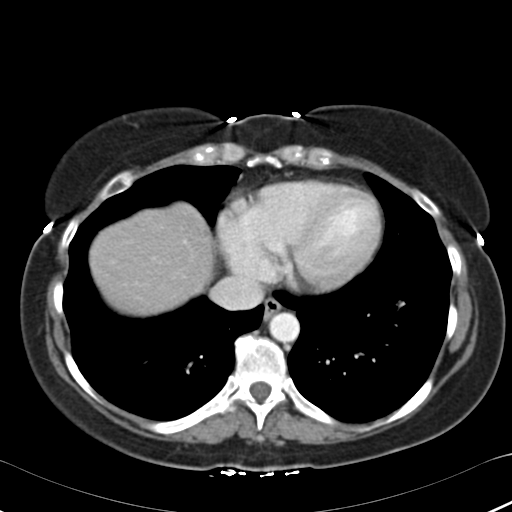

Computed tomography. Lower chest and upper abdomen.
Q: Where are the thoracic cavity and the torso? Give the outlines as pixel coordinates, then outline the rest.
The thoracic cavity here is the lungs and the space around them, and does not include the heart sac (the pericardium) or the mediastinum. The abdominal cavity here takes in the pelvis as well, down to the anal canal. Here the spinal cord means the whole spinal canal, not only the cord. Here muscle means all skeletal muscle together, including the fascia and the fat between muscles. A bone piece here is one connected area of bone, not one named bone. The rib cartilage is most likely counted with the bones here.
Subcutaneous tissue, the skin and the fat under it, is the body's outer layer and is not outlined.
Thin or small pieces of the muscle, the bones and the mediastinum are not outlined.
A: The thoracic cavity appears in 2 outlined pieces: piece 1: 365,172 409,195 433,218 452,275 444,338 428,377 390,413 365,422 346,422 334,418 307,399 288,373 287,357 301,326 296,310 285,305 275,293 284,291 295,296 329,294 347,284 373,261 383,244 386,219; piece 2: 181,164 240,170 213,227 184,199 102,227 87,249 101,301 132,319 166,314 201,296 230,311 262,305 263,313 255,329 234,340 234,368 210,399 181,417 153,420 110,402 78,367 64,281 79,225 137,179. The torso is outlined by 340,103 427,121 481,180 490,223 477,239 497,273 506,323 497,372 478,405 423,443 318,469 164,466 73,425 36,381 19,321 27,258 50,227 44,190 66,148 96,124 147,107 199,107 227,124. The abdominal cavity is outlined by 176,200 184,200 195,207 213,232 213,245 219,269 219,274 213,284 215,302 207,296 201,295 177,309 152,317 132,318 119,315 102,301 92,280 88,265 89,246 97,232 112,222 125,218 142,208 164,206. The spinal cord is outlined by 257,382 263,382 264,383 265,383 266,384 267,384 270,387 270,391 269,392 269,393 268,394 268,395 262,401 258,401 252,395 252,394 251,393 251,392 250,391 250,388 251,387 251,386 254,383 256,383. The muscle appears in 5 outlined pieces: piece 1: 439,208 465,256 469,284 477,299 479,321 475,347 467,361 418,412 402,423 377,434 332,444 306,444 289,440 283,446 248,445 236,437 213,444 186,444 154,439 120,426 95,409 58,375 48,358 44,339 46,292 56,267 57,243 63,231 59,247 62,251 67,249 67,273 63,282 60,279 57,280 52,288 54,308 60,316 65,316 69,328 71,348 70,351 63,350 63,361 72,378 98,403 104,403 101,395 122,410 152,420 142,425 162,435 180,432 215,414 233,412 237,409 237,401 243,402 254,414 256,429 259,432 269,412 288,399 298,412 332,426 338,421 365,423 388,415 369,425 359,427 356,430 360,433 389,424 409,414 428,396 434,384 434,377 430,373 443,341 446,342 452,337 458,322 457,307 450,301 450,286 452,276 458,276 461,273 462,259 456,246 452,243 445,246 439,235 434,220 441,215; piece 2: 301,145 319,146 328,148 340,153 363,157 381,166 394,176 416,187 409,188 407,190 408,194 389,181 369,171 345,165 339,165 335,167 325,167 329,166 333,162 332,159 334,154 330,150 324,148 323,147 322,147 312,147 305,150; piece 3: 206,142 214,142 215,143 224,142 220,145 217,144 202,144 190,149 187,152 187,157 188,158 187,160 189,164 181,163 180,164 170,165 166,167 163,167 157,169 136,179 136,176 133,174 129,169 126,169 131,168 133,166 136,165 144,166 150,164 155,161 157,161 162,158 164,158 167,156 169,156 187,148 196,145 199,145; piece 4: 101,188 100,191 97,195 97,197 101,201 101,203 100,203 99,205 97,207 96,207 95,209 94,209 80,223 80,220 77,217 73,217 74,215 75,215 77,213 84,209 91,201 91,200 94,197 96,193; piece 5: 235,143 244,145 247,147 252,148 256,151 260,151 261,152 267,152 268,151 273,150 283,145 289,145 290,144 300,144 293,144 292,145 287,145 283,147 281,149 278,155 274,155 270,153 261,153 260,154 256,154 255,155 253,155 252,156 247,157 245,159 244,161 244,163 243,162 241,162 241,161 243,160 246,157 246,151 243,146. The bones appear in 11 outlined pieces: piece 1: 247,333 267,337 279,346 286,360 287,373 297,390 335,419 336,424 303,414 288,398 268,412 260,431 255,414 241,400 235,402 233,411 215,413 173,433 157,433 143,425 181,418 210,400 235,368 235,340; inner edge: 257,382 263,382 264,383 265,383 266,384 267,384 270,387 270,391 269,392 269,393 268,394 268,395 262,401 258,401 252,395 252,394 251,393 251,392 250,391 250,388 251,387 251,386 254,383 256,383; piece 2: 293,145 300,145 305,151 312,148 323,148 330,151 333,154 331,159 332,162 324,168 313,168 301,165 299,163 286,163 279,168 267,163 260,163 250,167 245,163 247,158 256,155 270,154 278,156 283,148; piece 3: 225,142 234,143 243,147 245,151 245,157 239,162 232,163 231,164 213,164 212,165 194,165 193,164 190,164 188,160 189,158 188,157 188,152 190,150 198,146 201,146 202,145 217,145 218,146 220,146; piece 4: 430,376 433,377 433,384 429,393 423,401 409,413 389,423 383,425 380,425 377,427 372,428 366,431 362,431 360,432 357,430 359,428 369,426 378,420 381,420 386,418 392,412 398,409 404,404 421,387; piece 5: 124,170 129,170 132,173 132,174 135,176 135,180 132,183 132,184 125,190 124,190 121,192 116,193 115,194 106,198 102,201 98,197 98,195 101,191 102,188 107,183 107,182 116,174 117,174; piece 6: 64,350 69,351 71,353 71,355 75,363 77,365 77,367 79,369 83,376 90,384 90,385 102,399 103,403 100,403 95,400 89,394 88,394 73,378 73,377 69,372 64,361 64,356 63,355 63,352; piece 7: 412,188 416,188 417,189 418,189 420,191 421,191 424,194 425,194 437,206 437,207 440,212 440,215 439,216 434,218 422,207 421,207 413,199 413,198 409,194 409,191 408,190 409,189 411,189; piece 8: 72,218 77,218 79,220 79,224 68,246 68,248 66,249 63,249 62,250 60,247 61,245 61,240 62,239 62,236 63,235 63,233 64,232 64,230 65,228 67,226 68,223; piece 9: 448,244 452,244 454,246 455,246 455,247 460,254 460,258 461,259 461,269 460,270 460,273 458,275 455,275 453,274 453,272 452,271 452,268 451,267 450,260 449,259 448,253 446,249 446,246; piece 10: 450,302 452,302 456,307 456,309 457,310 457,322 456,323 455,329 451,337 448,340 445,341 444,339 445,338 445,334 446,333 446,329 447,328 447,320 448,319 448,312 449,311 449,305 450,304; piece 11: 59,280 62,281 62,282 63,283 63,297 62,298 62,308 63,309 63,312 64,313 64,315 60,315 57,312 57,311 55,308 55,306 54,305 54,302 53,301 53,288 54,287 54,285 55,284 55,283. The mediastinum appears in 2 outlined pieces: piece 1: 220,270 236,278 259,284 266,289 278,287 287,291 276,291 274,295 285,306 295,310 300,330 286,359 283,350 277,343 267,336 250,332 255,330 262,321 264,313 262,304 250,309 230,310 216,302 214,284; piece 2: 240,162 250,168 260,164 267,164 278,169 286,164 305,166 319,170 339,166 355,168 364,171 364,176 371,189 364,183 352,177 337,173 277,171 259,174 238,184 226,197 236,183 241,172 238,167 232,164. The pericardium is outlined by 277,172 342,175 364,184 377,198 384,218 384,231 381,245 372,261 360,273 338,289 318,295 295,295 282,287 266,288 259,283 236,277 219,268 216,246 214,245 214,228 218,212 224,201 238,185 259,175.